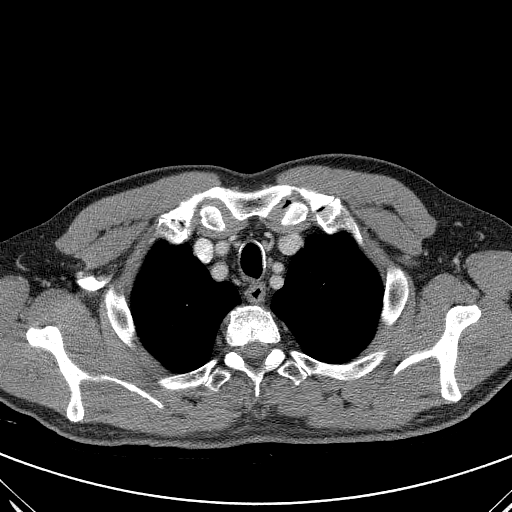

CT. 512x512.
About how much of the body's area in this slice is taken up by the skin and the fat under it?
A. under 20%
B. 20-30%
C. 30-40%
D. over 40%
Answer: A. under 20%
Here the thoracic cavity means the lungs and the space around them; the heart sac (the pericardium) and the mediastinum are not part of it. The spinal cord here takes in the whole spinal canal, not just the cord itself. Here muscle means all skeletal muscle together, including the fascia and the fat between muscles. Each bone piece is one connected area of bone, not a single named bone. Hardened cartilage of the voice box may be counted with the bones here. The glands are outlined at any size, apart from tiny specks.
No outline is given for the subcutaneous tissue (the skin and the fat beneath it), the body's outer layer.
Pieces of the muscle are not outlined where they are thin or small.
thoracic cavity 1: 319 229; 328 235; 342 231; 349 234; 364 255; 371 261; 383 283; 381 309; 373 338; 359 355; 349 361; 341 363; 322 361; 292 347; 290 341; 286 340; 279 330; 276 319; 269 309; 273 294; 284 285; 291 258; 304 246; 306 237
thoracic cavity 2: 158 240; 164 240; 170 245; 189 243; 194 255; 206 266; 213 280; 216 282; 230 281; 236 286; 242 303; 232 308; 222 319; 220 331; 221 342; 214 355; 202 365; 186 372; 173 373; 144 348; 137 335; 128 303; 136 276; 144 258
thyroid glands 1: 271 238; 273 238; 274 239; 274 248; 272 250; 270 250; 269 251; 268 251; 267 250; 267 248; 268 247; 268 246; 269 245; 269 240
thyroid glands 2: 241 240; 241 241; 240 242; 239 242; 238 243; 237 244; 236 245; 236 246; 236 247; 235 247; 234 247; 234 246; 234 245; 234 244; 235 243; 236 242; 237 242; 238 241; 239 241; 240 241
torso: 322 153; 352 153; 394 162; 511 225; 511 380; 467 418; 434 432; 389 441; 314 444; 266 442; 189 450; 147 445; 103 446; 77 442; 0 402; 0 241; 47 220; 80 194; 137 172; 178 164; 212 164; 249 173; 288 160
spinal cord: 256 341; 267 346; 267 348; 268 349; 268 352; 266 356; 263 359; 263 361; 259 366; 253 366; 252 365; 250 365; 247 362; 246 362; 244 358; 240 354; 239 352; 240 348; 243 347; 245 345; 249 343; 251 343; 252 342; 255 342
muscle 1: 306 164; 385 174; 413 191; 437 220; 434 233; 422 241; 423 251; 415 258; 413 275; 419 285; 442 272; 455 274; 473 252; 511 251; 511 358; 463 399; 455 374; 459 339; 481 317; 476 303; 452 305; 438 339; 395 366; 391 374; 395 376; 434 358; 440 396; 451 403; 422 411; 399 427; 314 428; 275 415; 244 418; 192 435; 162 436; 81 423; 83 381; 113 382; 161 410; 165 406; 130 381; 82 369; 68 355; 54 324; 30 325; 24 335; 30 346; 54 357; 69 390; 66 418; 0 389; 0 277; 23 276; 33 290; 72 288; 81 277; 80 261; 58 251; 54 242; 83 208; 184 171; 215 172; 227 186; 255 186 with a hole at 277 183; 338 197; 381 280; 389 266; 405 273; 399 316; 378 324; 359 354; 389 350; 349 380; 312 374; 296 385; 274 369; 256 401; 234 369; 217 391; 163 388; 156 376; 173 373; 117 335; 106 293; 129 302; 160 215; 182 200
muscle 2: 278 207; 279 207; 281 209; 281 214; 280 215; 280 216; 278 219; 278 222; 279 223; 279 224; 280 225; 280 226; 277 224; 274 224; 273 223; 272 223; 271 222; 271 221; 268 218; 267 218; 270 215; 270 214; 276 208; 277 208
muscle 3: 310 213; 312 213; 312 216; 311 217; 311 218; 315 222; 315 223; 320 228; 319 228; 317 226; 316 226; 315 225; 314 225; 313 224; 312 224; 311 223; 310 223; 307 221; 305 221; 308 218; 308 216
bones 1: 241 304; 268 309; 288 346; 322 362; 341 364; 382 348; 389 350; 373 370; 349 380; 312 374; 296 385; 274 369; 261 381; 256 401; 252 380; 234 369; 217 391; 203 384; 165 389; 157 383; 157 375; 190 372; 222 354; 223 319 with a hole at 256 341; 267 346; 267 348; 268 349; 268 352; 266 356; 263 359; 263 361; 259 366; 253 366; 252 365; 250 365; 247 362; 246 362; 244 358; 240 354; 239 352; 240 348; 243 347; 245 345; 249 343; 251 343; 252 342; 255 342
bones 2: 277 183; 338 197; 359 227; 363 252; 349 233; 323 231; 312 212; 300 223; 281 225; 279 206; 267 217; 253 215; 240 221; 231 218; 224 231; 205 228; 196 214; 188 239; 179 244; 154 236; 160 215; 194 193; 214 186; 253 190
bones 3: 471 304; 476 304; 481 314; 477 321; 462 330; 458 339; 454 369; 462 394; 458 401; 448 402; 441 396; 439 366; 434 357; 426 358; 407 366; 395 375; 392 374; 402 360; 417 351; 430 348; 439 339; 444 331; 446 313; 452 306
bones 4: 46 325; 54 325; 59 329; 67 355; 82 370; 91 375; 107 374; 130 382; 161 402; 163 408; 113 381; 83 380; 80 391; 84 415; 80 421; 70 421; 66 416; 70 390; 55 357; 41 347; 30 345; 26 339; 26 331; 30 326
bones 5: 389 266; 399 267; 405 273; 408 278; 409 292; 406 302; 399 316; 392 324; 386 326; 382 324; 380 325; 379 324; 379 319; 380 318; 380 313; 382 309; 382 302; 384 293; 384 283; 383 282; 385 280; 387 273; 387 268
bones 6: 109 290; 112 290; 117 294; 122 293; 124 295; 124 297; 128 304; 133 319; 133 322; 135 326; 136 335; 138 338; 138 340; 135 342; 135 347; 134 348; 129 347; 117 335; 110 324; 110 322; 107 316; 107 312; 105 306; 105 295
mediastinum: 253 216; 266 218; 272 224; 280 227; 307 222; 318 228; 305 237; 303 246; 290 258; 283 285; 272 294; 268 308; 259 304; 243 303; 239 290; 233 282; 213 279; 207 266; 195 255; 190 243; 186 242; 196 229; 231 232; 235 231; inner edge: 271 238; 273 238; 274 239; 274 248; 272 250; 270 250; 269 251; 268 251; 267 250; 267 248; 268 247; 268 246; 269 245; 269 240